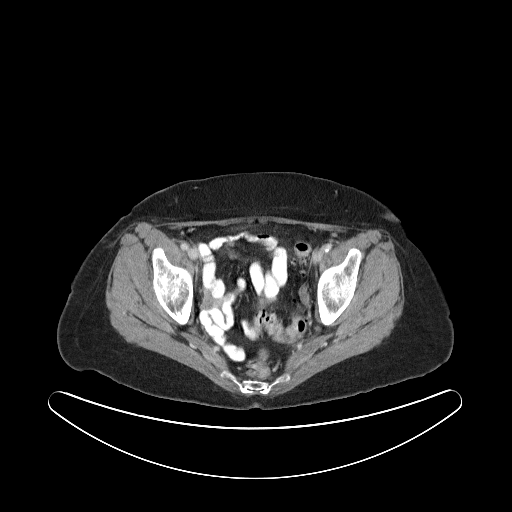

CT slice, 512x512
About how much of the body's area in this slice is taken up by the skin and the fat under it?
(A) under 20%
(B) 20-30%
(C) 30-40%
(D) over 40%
(D) over 40%
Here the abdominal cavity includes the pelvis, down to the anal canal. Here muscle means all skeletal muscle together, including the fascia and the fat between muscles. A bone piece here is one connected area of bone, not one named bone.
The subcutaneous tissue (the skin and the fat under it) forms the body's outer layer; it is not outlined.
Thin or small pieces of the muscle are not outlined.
The abdominal cavity is outlined by 255,220 260,223 296,224 321,231 359,230 356,235 337,243 321,258 313,332 291,351 281,372 268,381 244,378 234,373 219,348 200,331 195,321 193,303 194,265 180,246 157,228 174,225 226,226 250,224. The torso is outlined by 259,171 296,171 331,179 364,190 386,204 424,254 441,286 454,331 449,358 423,376 368,392 268,410 257,407 228,409 156,397 94,370 78,371 66,364 56,341 58,320 72,278 110,227 143,198 176,182. The bones appear in 3 outlined pieces: piece 1: 352,247 355,247 359,249 363,255 357,273 357,282 353,296 348,305 339,316 331,324 329,325 324,325 322,324 320,320 318,305 316,299 318,278 320,275 320,273 326,268 332,265 339,264 344,259 349,249; piece 2: 155,247 161,247 163,249 167,259 172,264 185,268 192,275 192,279 193,280 193,301 192,302 192,307 191,308 188,321 183,325 179,324 165,311 159,303 155,295 153,289 153,266 151,261 151,254 153,249; piece 3: 224,370 231,372 240,381 243,379 252,379 270,382 282,374 288,374 290,378 288,381 281,381 273,385 266,394 261,394 258,391 255,391 253,394 249,394 241,392 238,385 230,378 226,376 222,377 220,374. The muscle is outlined by 250,215 270,215 360,228 384,229 393,239 403,276 402,313 390,334 379,345 332,365 291,390 272,398 258,394 233,395 190,367 126,342 111,325 105,303 107,276 119,247 120,236 132,223 136,221 217,220, around a hole outlined by 255,220 321,231 359,230 321,258 320,273 339,264 352,247 363,255 348,305 331,324 324,325 315,302 313,332 291,351 279,374 288,374 289,380 273,385 266,394 243,393 230,378 220,375 224,370 232,370 219,348 200,331 194,304 188,321 181,325 159,303 153,289 151,261 153,249 161,247 167,259 185,268 193,280 192,261 158,227 226,226.